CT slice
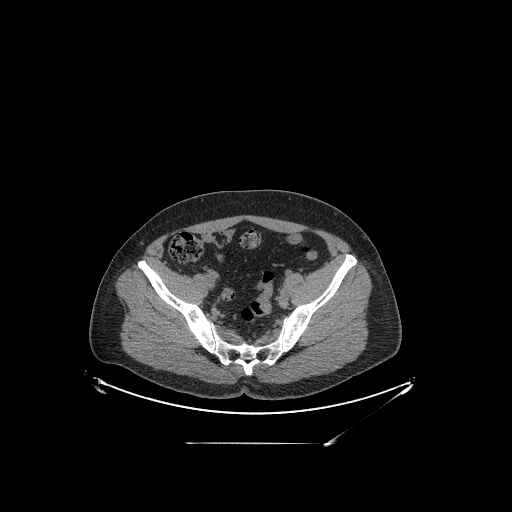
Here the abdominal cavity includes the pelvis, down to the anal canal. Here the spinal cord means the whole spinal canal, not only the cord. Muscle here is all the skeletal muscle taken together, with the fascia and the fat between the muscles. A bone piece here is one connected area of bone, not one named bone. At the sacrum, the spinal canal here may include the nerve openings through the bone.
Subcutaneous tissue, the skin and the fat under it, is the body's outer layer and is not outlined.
The torso is outlined by (248, 189) (282, 189) (315, 197) (337, 207) (361, 227) (376, 247) (395, 294) (402, 329) (396, 354) (327, 390) (281, 400) (253, 399) (244, 393) (229, 399) (197, 397) (98, 360) (88, 340) (90, 314) (99, 282) (121, 245) (153, 215) (175, 202) (207, 192). The muscle appears in 3 outlined pieces: piece 1: (243, 214) (325, 230) (346, 241) (365, 261) (372, 282) (366, 310) (369, 331) (366, 347) (355, 360) (327, 374) (288, 383) (270, 384) (253, 376) (243, 376) (234, 383) (216, 384) (154, 369) (121, 349) (119, 333) (124, 309) (114, 285) (118, 276) (149, 243) (167, 232); inner edge: (242, 221) (325, 241) (331, 259) (283, 282) (294, 307) (322, 293) (345, 254) (357, 259) (295, 344) (273, 364) (255, 364) (251, 375) (206, 350) (137, 266) (145, 260) (173, 294) (199, 307) (208, 291) (204, 276) (170, 268) (162, 260) (164, 242) (181, 231) (218, 232); piece 2: (217, 326) (220, 326) (221, 327) (223, 327) (226, 329) (229, 329) (230, 330) (233, 331) (234, 332) (234, 333) (237, 336) (237, 337) (239, 339) (239, 342) (238, 342) (237, 343) (234, 343) (233, 342) (230, 342) (229, 341) (224, 339) (218, 333) (218, 331) (217, 330); piece 3: (275, 328) (279, 328) (279, 331) (278, 332) (278, 334) (275, 339) (274, 339) (272, 341) (271, 341) (270, 342) (268, 342) (267, 343) (265, 343) (264, 344) (256, 344) (256, 342) (264, 334) (265, 334) (268, 332) (271, 332) (272, 331) (272, 330) (273, 330). The spinal cord appears in 3 outlined pieces: piece 1: (236, 351) (237, 351) (238, 352) (239, 353) (239, 354) (238, 355) (237, 356) (236, 356) (235, 355) (234, 354) (234, 353) (235, 352); piece 2: (259, 351) (260, 351) (261, 352) (262, 353) (262, 354) (261, 355) (260, 356) (259, 356) (258, 355) (257, 354) (257, 353) (258, 352); piece 3: (244, 359) (245, 359) (246, 360) (247, 360) (248, 360) (249, 360) (250, 360) (251, 360) (250, 360) (249, 361) (248, 362) (247, 362) (246, 361) (245, 360) (244, 360). The abdominal cavity is outlined by (242, 221) (281, 233) (314, 233) (325, 241) (332, 256) (313, 271) (294, 272) (285, 278) (283, 287) (295, 307) (280, 328) (264, 333) (255, 343) (240, 342) (233, 330) (206, 316) (200, 307) (208, 291) (203, 275) (178, 273) (162, 260) (164, 242) (178, 232) (218, 232). The bones are outlined by (347, 253) (355, 256) (356, 264) (312, 314) (295, 344) (273, 364) (255, 364) (251, 375) (240, 364) (225, 365) (206, 350) (184, 316) (160, 297) (137, 266) (139, 260) (145, 260) (173, 294) (202, 310) (224, 340) (264, 345) (277, 338) (284, 318) (298, 305) (322, 293).